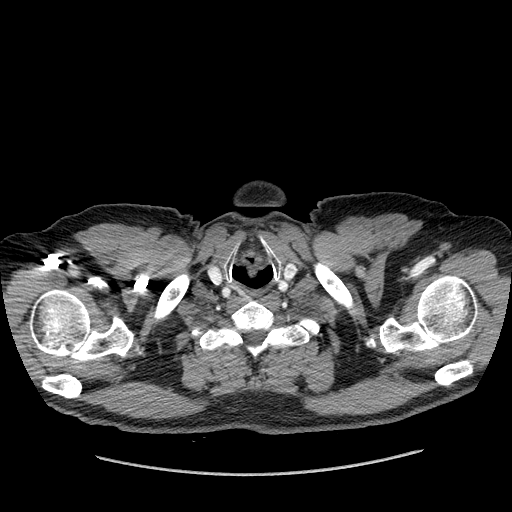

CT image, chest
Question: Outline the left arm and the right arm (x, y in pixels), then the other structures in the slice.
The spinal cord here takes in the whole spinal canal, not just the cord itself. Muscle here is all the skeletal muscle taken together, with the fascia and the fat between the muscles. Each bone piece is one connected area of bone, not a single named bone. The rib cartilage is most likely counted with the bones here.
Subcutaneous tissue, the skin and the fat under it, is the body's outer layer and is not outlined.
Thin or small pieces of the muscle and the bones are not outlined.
Answer: The left arm is outlined by (427, 198) (444, 203) (452, 211) (458, 214) (480, 214) (496, 217) (503, 221) (510, 229) (511, 279) (509, 285) (506, 312) (497, 343) (484, 370) (474, 368) (462, 362) (430, 342) (422, 334) (411, 314) (403, 284) (403, 272) (415, 224) (420, 212) (425, 205). The right arm is outlined by (51, 223) (74, 238) (89, 255) (102, 287) (103, 318) (100, 327) (91, 342) (72, 362) (56, 371) (30, 376) (24, 367) (23, 361) (18, 352) (10, 325) (6, 317) (7, 314) (3, 302) (3, 290) (0, 273) (0, 240) (14, 232) (18, 231) (29, 232) (40, 230). The central area in front of the spine is outlined by (249, 234) (255, 236) (263, 247) (271, 262) (273, 279) (276, 282) (281, 278) (281, 262) (272, 248) (296, 266) (296, 278) (289, 290) (272, 300) (227, 298) (213, 290) (205, 279) (206, 268) (230, 251) (222, 270) (225, 281) (227, 283) (233, 281) (234, 261) (242, 242). The torso appears in 2 outlined pieces: piece 1: (370, 191) (426, 198) (402, 284) (421, 334) (483, 370) (469, 394) (361, 429) (153, 435) (59, 414) (33, 384) (30, 377) (72, 363) (104, 318) (96, 268) (86, 249) (52, 223) (61, 216) (128, 202) (175, 207) (202, 224) (232, 211) (270, 210) (305, 222) (324, 197); piece 2: (254, 180) (265, 180) (266, 181) (272, 182) (279, 186) (285, 192) (287, 196) (287, 201) (286, 203) (281, 206) (268, 206) (267, 207) (246, 207) (245, 206) (240, 206) (239, 205) (236, 205) (231, 199) (231, 197) (234, 191) (239, 186) (247, 182) (253, 181). The bones appear in 9 outlined pieces: piece 1: (52, 289) (64, 289) (76, 296) (89, 312) (90, 327) (98, 332) (104, 332) (110, 327) (114, 315) (120, 317) (134, 334) (132, 346) (127, 355) (122, 357) (113, 353) (92, 360) (79, 361) (69, 356) (47, 353) (36, 347) (31, 337) (28, 323) (31, 309) (41, 294); piece 2: (443, 275) (455, 275) (462, 278) (473, 290) (477, 300) (478, 313) (471, 330) (462, 337) (442, 343) (431, 349) (411, 351) (404, 348) (395, 353) (387, 353) (379, 340) (379, 326) (391, 316) (401, 325) (410, 324) (415, 321) (417, 319) (417, 305) (420, 294) (426, 286); piece 3: (251, 300) (257, 300) (273, 312) (279, 324) (310, 317) (320, 324) (320, 330) (306, 343) (269, 346) (256, 358) (243, 345) (229, 347) (224, 344) (211, 350) (203, 349) (198, 343) (199, 338) (190, 335) (191, 329) (200, 326) (204, 331) (209, 327) (230, 326) (231, 314), around a hole outlined by (252, 329) (253, 329) (254, 330) (263, 330) (266, 332) (265, 337) (263, 339) (263, 340) (261, 342) (261, 343) (260, 344) (258, 344) (257, 345) (251, 345) (250, 344) (248, 344) (245, 342) (245, 340) (243, 337) (243, 334) (246, 332) (248, 332) (250, 330) (251, 330); piece 4: (185, 272) (188, 273) (190, 276) (190, 282) (185, 293) (170, 313) (169, 313) (163, 319) (155, 319) (153, 317) (153, 313) (155, 310) (155, 308) (156, 307) (157, 302) (159, 299) (159, 297) (163, 291) (164, 288) (173, 278) (174, 278) (177, 275) (181, 273) (184, 273); piece 5: (317, 261) (319, 261) (323, 264) (325, 264) (328, 266) (343, 282) (352, 296) (353, 303) (354, 304) (353, 305) (353, 307) (350, 309) (348, 309) (344, 305) (340, 303) (338, 303) (323, 287) (316, 277) (313, 271) (313, 267) (312, 265) (313, 263); piece 6: (61, 373) (69, 373) (75, 376) (78, 379) (80, 380) (82, 384) (82, 390) (78, 397) (76, 398) (67, 398) (66, 397) (63, 397) (60, 395) (51, 393) (45, 390) (41, 387) (41, 382) (42, 381) (42, 376) (45, 376) (46, 375) (56, 375) (57, 374) (60, 374); piece 7: (464, 359) (467, 359) (473, 366) (473, 371) (471, 374) (464, 378) (462, 378) (459, 380) (457, 380) (453, 382) (448, 386) (442, 386) (441, 385) (439, 385) (436, 382) (436, 381) (434, 379) (434, 373) (438, 368) (445, 364) (456, 362) (457, 361) (463, 360); piece 8: (259, 234) (263, 237) (263, 238) (266, 241) (268, 245) (272, 249) (272, 251) (275, 255) (275, 256) (279, 260) (280, 262) (280, 278) (277, 281) (276, 281) (274, 279) (272, 262) (270, 260) (267, 253) (264, 249) (264, 247) (262, 245) (261, 242) (258, 238) (258, 235); piece 9: (239, 240) (241, 241) (241, 243) (239, 246) (239, 248) (236, 254) (236, 256) (233, 261) (233, 264) (231, 269) (231, 276) (232, 277) (232, 281) (230, 282) (227, 282) (226, 281) (226, 279) (225, 278) (225, 274) (223, 270) (223, 265) (228, 259) (232, 249). The spinal cord is outlined by (252, 329) (253, 329) (254, 330) (263, 330) (266, 332) (265, 337) (263, 339) (263, 340) (261, 342) (261, 343) (260, 344) (258, 344) (257, 345) (251, 345) (250, 344) (248, 344) (245, 342) (245, 340) (243, 337) (243, 334) (246, 332) (248, 332) (250, 330) (251, 330). The muscle is outlined by (383, 212) (420, 219) (428, 237) (460, 249) (490, 250) (511, 279) (502, 328) (486, 367) (469, 376) (474, 366) (467, 358) (445, 363) (433, 373) (439, 386) (464, 379) (395, 408) (322, 416) (292, 397) (264, 393) (228, 395) (184, 417) (133, 418) (71, 399) (80, 396) (83, 384) (69, 372) (42, 375) (35, 386) (7, 321) (3, 292) (11, 271) (47, 256) (75, 232) (97, 223) (159, 226) (200, 240) (218, 222) (286, 221) (312, 234) (349, 215); inner edges: (249, 234) (261, 235) (296, 266) (296, 278) (288, 291) (258, 301) (273, 312) (279, 324) (303, 317) (320, 324) (308, 342) (269, 346) (256, 358) (243, 345) (203, 349) (199, 338) (190, 335) (195, 326) (204, 331) (230, 326) (231, 314) (247, 301) (216, 292) (205, 273), then (52, 289) (64, 289) (76, 296) (89, 312) (90, 327) (98, 332) (104, 332) (110, 327) (114, 315) (120, 317) (134, 334) (132, 346) (127, 355) (122, 357) (113, 353) (92, 360) (79, 361) (69, 356) (47, 353) (36, 347) (31, 337) (28, 323) (31, 309) (41, 294), then (443, 275) (455, 275) (462, 278) (473, 290) (477, 300) (478, 313) (471, 330) (462, 337) (442, 343) (431, 349) (411, 351) (404, 348) (395, 353) (387, 353) (379, 340) (379, 326) (391, 316) (401, 325) (410, 324) (415, 321) (417, 319) (417, 305) (420, 294) (426, 286), then (185, 272) (188, 273) (190, 276) (190, 282) (185, 293) (170, 313) (169, 313) (163, 319) (155, 319) (153, 317) (153, 313) (155, 310) (155, 308) (156, 307) (157, 302) (159, 299) (159, 297) (163, 291) (164, 288) (173, 278) (174, 278) (177, 275) (181, 273) (184, 273), then (317, 261) (319, 261) (323, 264) (325, 264) (328, 266) (343, 282) (352, 296) (353, 303) (354, 304) (353, 305) (353, 307) (350, 309) (348, 309) (344, 305) (340, 303) (338, 303) (323, 287) (316, 277) (313, 271) (313, 267) (312, 265) (313, 263), then (370, 336) (373, 336) (374, 337) (374, 339) (376, 341) (376, 345) (375, 346) (375, 347) (374, 347) (373, 348) (372, 348) (371, 347) (367, 347) (365, 345) (365, 342) (366, 341) (366, 340).